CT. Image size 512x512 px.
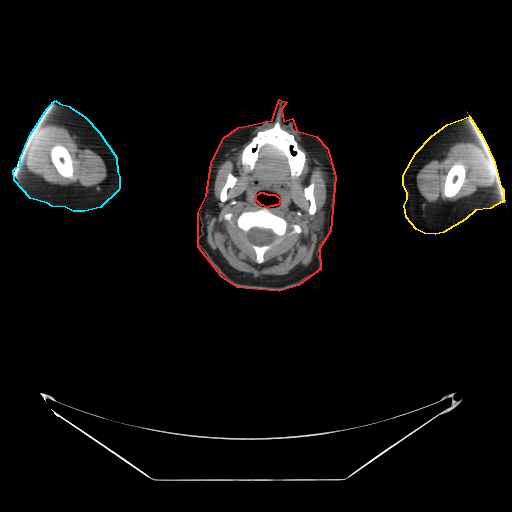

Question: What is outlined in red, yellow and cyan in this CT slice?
Answer: red: head and neck; yellow: left arm; cyan: right arm.
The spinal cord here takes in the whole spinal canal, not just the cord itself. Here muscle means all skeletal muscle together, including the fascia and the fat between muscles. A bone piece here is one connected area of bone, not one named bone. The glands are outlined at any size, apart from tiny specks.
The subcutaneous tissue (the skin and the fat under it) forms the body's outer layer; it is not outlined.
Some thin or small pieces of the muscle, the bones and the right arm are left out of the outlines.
Outlines (x, y in pixels):
head and neck: 279 99; 286 102; 281 109; 283 121; 292 118; 296 130; 316 136; 327 148; 335 176; 330 231; 319 248; 320 269; 298 285; 279 291; 237 287; 222 277; 198 247; 198 212; 206 196; 211 162; 224 137; 238 127; 272 120; inner edge: 260 192; 263 192; 264 193; 266 193; 267 194; 274 194; 275 195; 276 195; 279 198; 279 203; 277 205; 274 205; 273 206; 269 206; 268 207; 266 207; 263 205; 261 205; 259 203; 258 203; 258 202; 257 201; 256 201; 256 195
left arm: 469 116; 482 136; 494 162; 500 186; 503 189; 503 202; 502 201; 490 208; 475 210; 465 219; 443 232; 435 234; 424 233; 416 229; 406 217; 404 205; 407 199; 407 193; 403 184; 403 175; 416 152; 431 136; 447 124
right arm: 55 100; 59 103; 69 106; 85 117; 99 132; 116 157; 117 172; 119 176; 119 187; 118 190; 100 207; 84 211; 73 211; 65 207; 52 206; 47 203; 30 198; 14 180; 13 170; 16 167; 20 166; 20 158; 30 134; 47 108
spinal cord: 253 227; 258 227; 259 228; 264 228; 265 229; 270 229; 274 234; 274 238; 273 240; 270 243; 268 244; 265 244; 264 245; 257 245; 256 244; 254 244; 252 243; 248 239; 247 237; 247 233; 248 231; 251 228
parotid glands 1: 320 210; 323 210; 325 213; 325 220; 324 221; 324 225; 323 226; 323 229; 321 231; 314 231; 313 230; 312 230; 309 228; 309 227; 308 226; 308 222; 309 221; 309 220; 313 216; 314 216; 316 214; 317 214; 318 213; 318 212
parotid glands 2: 207 208; 209 208; 210 209; 211 209; 211 210; 212 211; 212 214; 211 215; 211 216; 209 218; 209 219; 208 220; 208 221; 207 222; 207 223; 206 223; 205 224; 205 215; 206 214; 206 211; 207 210
bones 1: 276 122; 278 122; 284 130; 293 135; 298 147; 305 154; 305 162; 302 171; 298 176; 291 176; 289 165; 284 153; 275 146; 269 144; 265 144; 262 146; 254 168; 249 171; 246 171; 244 169; 241 161; 243 149; 259 131; 272 127
bones 2: 262 207; 267 208; 272 213; 283 218; 289 225; 299 225; 301 228; 301 232; 290 234; 289 233; 292 229; 290 226; 288 226; 280 241; 264 254; 264 260; 259 263; 256 261; 255 252; 246 243; 237 226; 237 218; 244 211; 255 211; inner edge: 253 227; 258 227; 259 228; 264 228; 265 229; 270 229; 274 234; 274 238; 273 240; 270 243; 268 244; 265 244; 264 245; 257 245; 256 244; 254 244; 252 243; 248 239; 247 237; 247 233; 248 231; 251 228
bones 3: 57 144; 60 144; 64 146; 67 149; 70 155; 70 157; 72 160; 72 166; 73 167; 73 176; 70 178; 62 176; 58 172; 57 169; 52 162; 52 160; 51 159; 51 156; 50 155; 50 151; 51 150; 51 148; 53 146
bones 4: 455 163; 461 163; 465 166; 465 168; 466 169; 466 172; 465 173; 465 178; 461 187; 459 189; 457 193; 452 197; 446 197; 443 194; 443 190; 444 189; 444 185; 445 184; 445 179; 446 178; 446 175; 449 171; 450 168
bones 5: 312 182; 313 182; 314 184; 314 189; 313 190; 313 193; 314 194; 314 198; 315 199; 315 204; 316 205; 316 211; 314 214; 310 214; 309 213; 308 210; 309 209; 310 202; 305 197; 305 195; 304 194; 304 188; 308 185; 309 185
bones 6: 228 173; 231 173; 235 177; 236 177; 237 180; 235 182; 234 185; 232 187; 230 187; 227 190; 227 198; 226 199; 226 200; 225 201; 221 201; 220 200; 220 192; 226 182; 226 179; 227 178; 227 175; 228 174
muscle 1: 270 124; 272 126; 259 130; 242 149; 243 169; 252 171; 263 146; 269 145; 283 153; 292 178; 301 175; 306 154; 294 135; 281 126; 285 126; 319 154; 328 175; 327 193; 323 209; 316 213; 314 182; 303 188; 309 202; 307 211; 314 215; 307 226; 314 232; 322 231; 311 262; 289 274; 255 278; 233 269; 211 249; 205 225; 213 214; 208 206; 214 197; 215 176; 221 158; 236 142, around holes outlined by 260 192; 276 195; 279 203; 267 208; 289 225; 299 225; 301 232; 290 234; 292 229; 288 226; 280 241; 264 254; 264 260; 259 263; 256 261; 255 252; 246 243; 237 226; 237 218; 244 211; 255 211; 264 206; 256 201; 256 195 and by 228 173; 231 173; 235 177; 236 177; 237 180; 235 182; 234 185; 232 187; 230 187; 227 190; 227 198; 226 199; 226 200; 225 201; 221 201; 220 200; 220 192; 226 182; 226 179; 227 178; 227 175; 228 174 and by 226 213; 232 213; 233 214; 233 216; 232 217; 232 222; 230 222; 229 221; 228 221; 227 220; 226 220; 224 218; 224 215
muscle 2: 44 123; 54 123; 63 125; 73 134; 73 136; 77 140; 78 143; 84 147; 85 146; 96 152; 103 159; 107 168; 107 177; 97 188; 96 187; 75 187; 72 184; 68 185; 54 184; 29 172; 22 157; 22 152; 34 127; inner edge: 57 144; 60 144; 64 146; 67 149; 70 155; 70 157; 72 160; 72 166; 73 167; 73 176; 70 178; 62 176; 58 172; 57 169; 52 162; 52 160; 51 159; 51 156; 50 155; 50 151; 51 150; 51 148; 53 146
muscle 3: 456 141; 476 143; 494 166; 494 173; 496 176; 496 179; 493 184; 487 187; 480 187; 472 194; 464 196; 456 200; 444 201; 440 199; 435 202; 427 202; 418 191; 416 185; 416 175; 418 171; 426 163; 433 159; 440 151, around a hole outlined by 455 163; 461 163; 465 166; 465 168; 466 169; 466 172; 465 173; 465 178; 461 187; 459 189; 457 193; 452 197; 446 197; 443 194; 443 190; 444 189; 444 185; 445 184; 445 179; 446 178; 446 175; 449 171; 450 168